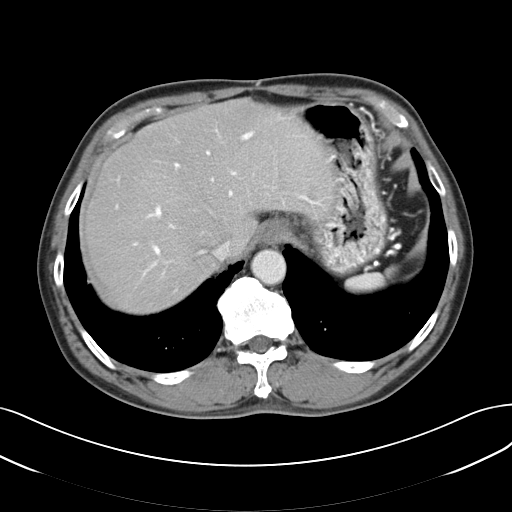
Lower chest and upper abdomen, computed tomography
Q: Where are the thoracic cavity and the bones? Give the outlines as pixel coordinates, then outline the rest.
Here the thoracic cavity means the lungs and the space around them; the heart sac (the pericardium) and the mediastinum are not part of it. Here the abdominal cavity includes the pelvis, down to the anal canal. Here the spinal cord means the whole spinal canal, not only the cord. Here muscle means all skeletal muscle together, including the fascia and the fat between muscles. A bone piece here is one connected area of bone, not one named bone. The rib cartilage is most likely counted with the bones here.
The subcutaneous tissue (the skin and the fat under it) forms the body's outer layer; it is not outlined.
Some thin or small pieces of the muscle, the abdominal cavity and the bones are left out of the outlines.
A: The thoracic cavity appears in 2 outlined pieces: piece 1: [[413,148],[421,156],[429,181],[440,198],[446,227],[449,265],[437,304],[418,331],[386,355],[346,360],[317,353],[300,336],[283,292],[287,272],[283,250],[287,245],[298,251],[352,296],[369,296],[409,284],[427,262],[431,222],[430,201],[420,182]]; piece 2: [[84,185],[77,220],[80,259],[85,282],[97,299],[111,311],[134,317],[159,314],[181,303],[204,282],[215,278],[229,266],[243,262],[216,301],[222,331],[216,345],[205,358],[174,371],[140,369],[111,357],[82,325],[64,286],[64,253],[69,217]]. The bones appear in 11 outlined pieces: piece 1: [[242,276],[253,277],[267,289],[283,295],[297,330],[284,342],[288,352],[286,357],[272,361],[267,368],[266,377],[271,391],[266,398],[254,394],[257,381],[255,367],[249,363],[238,363],[235,347],[229,340],[221,337],[223,320],[217,301],[226,287]]; inner edge: [[259,335],[262,335],[263,336],[265,336],[268,338],[270,338],[272,339],[272,344],[264,352],[262,352],[261,353],[259,353],[255,351],[251,351],[248,348],[248,346],[247,345],[247,342],[250,339],[251,339],[255,336],[258,336]]; piece 2: [[153,106],[159,106],[162,107],[163,110],[160,113],[152,113],[137,121],[132,121],[127,126],[125,133],[118,138],[111,139],[107,141],[104,139],[104,136],[106,133],[106,131],[116,123],[127,118],[129,116],[131,116],[134,113],[138,111]]; piece 3: [[369,95],[375,95],[377,97],[381,99],[384,99],[389,104],[393,106],[400,113],[405,116],[408,121],[408,126],[405,128],[400,128],[390,122],[385,117],[385,116],[381,111],[380,111],[378,109],[376,109],[364,98],[366,96],[368,96]]; piece 4: [[81,326],[82,326],[86,330],[86,331],[91,336],[91,337],[95,341],[95,342],[111,358],[113,359],[112,361],[116,367],[115,369],[111,369],[106,365],[105,365],[91,351],[91,350],[87,346],[84,340],[82,338],[82,336],[79,331],[79,328]]; piece 5: [[336,360],[345,360],[346,361],[369,361],[370,360],[374,360],[375,361],[375,363],[374,365],[370,369],[368,370],[366,370],[363,372],[361,372],[360,373],[349,373],[348,372],[346,372],[345,371],[340,370],[336,367],[333,366],[332,365],[332,363]]; piece 6: [[186,368],[188,368],[190,370],[191,370],[192,371],[192,374],[191,374],[188,377],[182,380],[180,382],[178,383],[176,383],[175,384],[163,384],[162,383],[159,383],[153,380],[151,377],[153,373],[165,373],[166,372],[174,372],[175,371],[182,370]]; piece 7: [[436,307],[438,308],[438,315],[436,318],[436,320],[432,328],[428,334],[424,338],[424,339],[417,346],[416,346],[411,351],[408,351],[407,349],[407,347],[408,346],[407,344],[408,342],[419,331],[419,330],[423,326],[431,314],[434,311]]; piece 8: [[427,160],[430,161],[432,165],[435,168],[444,186],[444,188],[445,189],[445,195],[444,196],[440,196],[439,195],[438,192],[435,189],[435,188],[433,186],[433,185],[430,181],[430,179],[428,175],[428,172],[427,171],[427,169],[425,165],[425,161]]; piece 9: [[58,252],[62,252],[63,253],[63,286],[64,287],[64,288],[61,288],[60,287],[58,287],[55,284],[55,282],[54,281],[54,277],[53,276],[53,271],[54,270],[54,261],[55,260],[55,258],[56,257],[56,255],[57,254],[57,253]]; piece 10: [[449,227],[450,228],[451,228],[454,231],[454,233],[455,234],[455,237],[456,238],[456,240],[457,241],[457,259],[456,260],[456,263],[454,266],[450,266],[450,261],[449,260],[449,248],[448,247],[448,238],[447,237],[447,228],[448,228]]; piece 11: [[81,181],[83,181],[84,183],[82,186],[82,189],[80,192],[79,197],[74,207],[72,209],[69,216],[67,217],[65,216],[64,214],[64,208],[65,207],[66,202],[68,198],[70,196],[71,193],[74,190],[74,189],[79,183],[79,182]]. The mediastinum is outlined by [[265,244],[270,246],[278,246],[279,245],[283,246],[282,254],[286,263],[285,277],[282,282],[281,287],[283,294],[281,294],[276,290],[271,290],[267,288],[255,277],[250,275],[242,275],[235,278],[232,281],[234,275],[243,267],[244,260],[258,246]]. The abdominal cavity is outlined by [[254,90],[316,100],[361,102],[403,130],[415,147],[410,152],[430,208],[427,258],[421,271],[407,284],[356,296],[342,290],[290,245],[265,243],[164,311],[134,316],[106,307],[86,282],[79,246],[80,205],[84,180],[90,170],[126,132],[170,108]]. The torso is outlined by [[312,72],[359,75],[399,92],[420,115],[457,180],[472,230],[473,265],[460,315],[444,347],[421,372],[385,399],[325,416],[175,417],[126,404],[89,384],[71,368],[56,343],[36,274],[49,204],[86,130],[112,103],[148,86],[197,78],[258,79]]. The spinal cord is outlined by [[259,335],[262,335],[263,336],[265,336],[268,338],[270,338],[272,339],[272,344],[264,352],[262,352],[261,353],[259,353],[255,351],[251,351],[248,348],[248,346],[247,345],[247,342],[250,339],[251,339],[255,336],[258,336]]. The muscle is outlined by [[274,84],[370,89],[399,104],[416,121],[448,180],[463,234],[464,253],[448,319],[438,339],[420,359],[366,398],[330,408],[301,407],[269,398],[272,386],[268,368],[272,362],[287,357],[285,342],[294,333],[312,351],[337,359],[331,365],[349,374],[370,370],[376,359],[406,344],[411,352],[425,339],[439,315],[437,305],[449,266],[454,267],[458,259],[456,234],[446,226],[440,197],[446,195],[445,186],[431,161],[424,161],[402,129],[409,126],[406,116],[375,94],[363,98],[370,105],[353,99],[245,90],[193,105],[170,107],[127,131],[132,122],[164,110],[159,105],[148,106],[105,131],[106,142],[119,139],[67,198],[63,208],[68,218],[65,247],[53,261],[54,284],[65,290],[81,324],[78,331],[84,343],[111,370],[117,368],[114,359],[153,372],[150,377],[156,383],[175,385],[192,375],[189,367],[205,359],[223,338],[234,347],[235,361],[249,364],[256,371],[252,390],[255,396],[229,408],[188,412],[151,404],[90,372],[67,343],[48,269],[58,205],[85,147],[114,114],[150,98]].